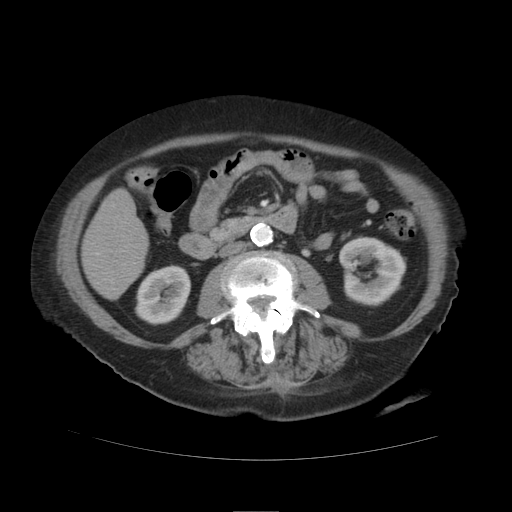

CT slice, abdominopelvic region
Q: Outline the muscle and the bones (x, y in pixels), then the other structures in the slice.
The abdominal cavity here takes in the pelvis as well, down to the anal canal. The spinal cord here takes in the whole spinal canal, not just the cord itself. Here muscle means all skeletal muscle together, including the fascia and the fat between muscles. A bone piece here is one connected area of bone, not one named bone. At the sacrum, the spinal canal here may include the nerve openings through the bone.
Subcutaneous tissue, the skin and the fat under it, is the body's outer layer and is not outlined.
A: Outlined structures:
muscle: [[232,130],[257,130],[268,133],[295,135],[320,142],[340,145],[369,152],[400,168],[402,168],[407,172],[416,175],[438,194],[440,199],[447,209],[447,213],[449,216],[449,225],[451,228],[452,250],[451,251],[451,256],[448,262],[447,275],[442,286],[441,294],[437,299],[434,307],[422,318],[422,320],[418,324],[411,330],[387,340],[370,343],[361,343],[360,342],[359,343],[358,342],[354,343],[351,349],[349,350],[350,355],[345,361],[344,365],[339,370],[323,381],[309,383],[303,386],[292,386],[285,384],[279,380],[276,380],[261,388],[228,388],[216,384],[214,381],[210,382],[202,378],[194,372],[187,365],[186,359],[183,357],[183,354],[179,349],[170,349],[169,350],[163,350],[157,348],[148,349],[128,344],[114,338],[111,334],[99,328],[92,322],[90,318],[72,301],[67,293],[67,290],[64,287],[55,270],[55,256],[54,253],[55,252],[57,233],[60,225],[62,214],[67,203],[90,180],[98,176],[126,157],[130,156],[136,152],[165,140],[178,136],[211,133],[212,132],[223,132]]; inner edge: [[230,136],[362,158],[381,168],[416,213],[427,240],[426,287],[400,323],[367,335],[357,323],[326,313],[332,301],[324,279],[293,253],[285,254],[296,269],[293,296],[320,316],[297,310],[284,334],[273,333],[275,357],[268,364],[260,356],[256,332],[239,334],[229,315],[210,323],[232,305],[222,289],[228,260],[203,280],[195,308],[201,320],[167,342],[134,333],[95,299],[78,267],[77,242],[109,178],[137,159]]
bones: [[272,251],[285,254],[295,266],[297,283],[293,296],[317,310],[320,316],[297,310],[284,334],[273,333],[275,357],[266,364],[260,356],[261,343],[256,332],[239,334],[229,315],[215,324],[210,320],[232,305],[222,289],[222,273],[228,262],[248,252]]; inner edge: [[265,295],[267,296],[272,296],[274,297],[274,299],[269,302],[268,305],[266,307],[266,309],[263,312],[261,313],[259,313],[257,312],[253,308],[253,307],[248,302],[248,301],[252,298],[254,298],[258,296],[260,296],[262,297]]
torso: [[223,94],[297,100],[371,122],[419,155],[459,201],[468,243],[457,252],[458,295],[409,373],[366,405],[296,421],[263,420],[249,413],[216,416],[178,406],[123,379],[68,334],[46,323],[33,303],[29,281],[33,236],[54,191],[78,159],[136,117]]
abdominal cavity: [[230,136],[362,158],[381,168],[427,240],[426,287],[400,323],[367,335],[357,323],[326,313],[332,301],[322,276],[300,256],[278,250],[248,251],[212,267],[195,308],[201,320],[167,342],[134,333],[95,299],[78,267],[77,242],[109,178],[137,159]]
spinal cord: [[265,295],[267,296],[272,296],[274,297],[274,299],[269,302],[268,305],[266,307],[266,309],[263,312],[261,313],[259,313],[257,312],[253,308],[253,307],[248,302],[248,301],[252,298],[254,298],[258,296],[260,296],[262,297]]